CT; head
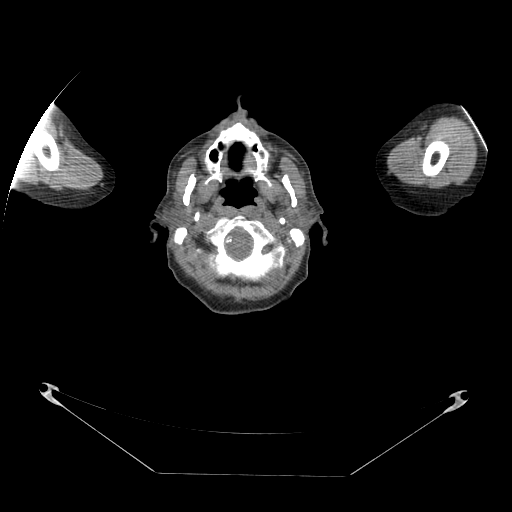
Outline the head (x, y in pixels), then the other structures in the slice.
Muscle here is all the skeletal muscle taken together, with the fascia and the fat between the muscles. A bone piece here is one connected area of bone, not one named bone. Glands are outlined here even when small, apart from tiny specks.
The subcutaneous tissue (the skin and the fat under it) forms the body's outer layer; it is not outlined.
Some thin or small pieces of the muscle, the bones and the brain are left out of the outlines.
Outlined structures:
head: 239,94 246,97 241,106 306,161 323,208 327,245 321,243 320,228 310,232 308,275 288,300 270,309 229,315 212,312 176,281 167,265 168,232 155,224 159,235 150,244 148,223 166,191 172,157 234,111 with holes at 247,177 252,180 252,186 256,191 256,194 253,197 253,203 244,204 239,207 229,204 225,204 224,203 225,198 222,195 221,191 226,186 227,180 234,179 237,181 239,181 243,178 246,178 and at 235,143 241,143 244,147 244,151 241,156 241,167 240,168 240,170 239,171 239,172 236,172 230,166 230,160 229,159 229,157 228,156 228,154 229,153 229,151 230,150 231,147 233,145 233,144 234,144 and at 213,151 214,151 215,151 216,152 216,153 216,154 216,155 216,156 216,157 216,158 216,159 215,160 214,160 213,159 212,159 211,158 211,157 211,156 211,155 211,154 211,153 212,152
bones 1: 236,215 243,215 247,219 257,219 261,221 271,233 281,240 286,248 282,267 272,269 265,277 256,282 245,281 230,276 224,278 217,277 205,262 208,254 214,249 206,239 204,231 211,228 219,218 231,218 with a hole at 237,227 239,227 244,230 252,239 252,245 251,246 251,249 249,253 246,256 240,259 236,259 231,256 227,252 227,250 225,246 226,242 227,243 229,243 232,240 232,238 230,236 228,237 228,235 232,230
bones 2: 238,121 258,135 269,153 267,170 264,172 264,175 271,183 269,187 263,180 254,181 250,175 242,175 239,173 235,175 225,173 221,182 213,179 207,184 205,183 210,174 204,162 206,149 219,134 220,130, around holes outlined by 235,143 241,143 244,147 244,151 241,156 241,167 240,168 240,170 239,171 239,172 236,172 230,166 230,160 229,159 229,157 228,156 228,154 229,153 229,151 230,150 231,147 233,145 233,144 234,144 and by 213,151 214,151 215,151 216,152 216,153 216,154 216,155 216,156 216,157 216,158 216,159 215,160 214,160 213,159 212,159 211,158 211,157 211,156 211,155 211,154 211,153 212,152
bones 3: 39,127 44,127 50,130 55,140 55,142 57,145 57,147 59,151 59,169 58,170 56,170 55,171 48,171 46,170 40,164 37,157 35,155 33,155 32,156 32,147 31,146 31,134 36,129 37,129
bones 4: 433,140 443,140 445,141 448,144 449,148 450,149 450,151 449,152 449,155 446,159 440,171 435,176 426,176 422,171 422,161 423,160 423,157 424,156 424,153 425,152 425,149 426,147 430,143 430,142
bones 5: 292,227 296,227 297,228 299,228 303,232 304,234 304,237 305,238 304,240 304,242 302,245 298,247 296,247 295,245 291,241 290,242 287,242 286,241 286,239 289,236 288,234 288,232 289,230
bones 6: 191,173 194,174 196,178 196,182 195,183 195,186 190,194 190,197 189,198 189,204 188,205 184,205 182,201 182,196 184,193 184,190 185,189 185,187 187,183 187,180 188,179 188,177
bones 7: 285,173 286,173 288,175 288,177 290,180 290,183 294,190 294,193 297,199 297,205 295,207 292,207 291,206 291,198 290,197 290,195 287,191 287,190 284,187 283,184 281,182 281,178 282,176
bones 8: 180,226 183,226 184,227 185,227 187,229 187,236 185,238 185,239 184,240 184,241 181,244 177,244 176,243 175,243 174,242 174,241 173,240 173,234 174,233 174,231 176,229 177,229
brain: 237,227 239,227 244,230 252,239 252,245 251,246 251,249 249,253 246,256 240,259 236,259 231,256 227,252 227,250 225,246 226,242 227,243 229,243 232,240 232,238 230,236 228,237 228,235 232,230
left arm: 438,102 457,103 467,112 483,140 483,143 488,152 488,157 484,174 476,186 473,194 463,198 446,213 439,216 428,217 411,213 396,206 390,201 387,193 377,177 375,171 375,156 381,145 417,113 425,107
right arm: 51,104 54,104 55,106 56,105 59,106 65,112 83,137 109,161 115,171 116,178 113,190 103,199 90,207 79,210 63,209 30,199 21,193 12,192 9,189 13,176 15,175 17,164 26,142 41,116
muscle 1: 237,117 251,122 271,141 294,155 304,172 306,183 306,195 291,212 292,223 305,227 306,230 305,251 299,269 277,294 261,300 241,302 205,293 185,276 175,261 171,248 171,230 174,230 172,240 177,245 181,245 188,236 188,229 181,225 187,215 185,206 190,204 197,182 194,173 188,175 181,201 174,191 172,175 179,157 203,142 220,125; inner edges: 236,215 243,215 247,219 257,219 261,221 271,233 281,240 286,248 282,267 272,269 265,277 256,282 245,281 230,276 224,278 217,277 205,262 208,254 214,249 206,239 204,231 211,228 219,218 231,218, then 238,121 254,131 268,151 264,175 271,183 269,187 263,180 253,180 252,186 256,191 253,203 239,207 225,204 221,191 229,179 253,178 225,173 221,182 213,179 206,184 210,174 204,162 205,151 220,130, then 292,227 296,227 297,228 299,228 303,232 304,234 304,237 305,238 304,240 304,242 302,245 298,247 296,247 295,245 291,241 290,242 287,242 286,241 286,239 289,236 288,234 288,232 289,230, then 285,173 286,173 288,175 288,177 290,180 290,183 294,190 294,193 297,199 297,205 295,207 292,207 291,206 291,198 290,197 290,195 287,191 287,190 284,187 283,184 281,182 281,178 282,176, then 197,211 198,211 199,212 199,213 199,214 199,215 199,216 199,217 199,218 198,219 198,220 197,221 196,221 195,221 194,220 194,219 194,218 194,217 194,216 194,215 195,214 195,213 196,212
muscle 2: 460,114 463,115 473,128 478,136 478,140 480,143 478,147 478,155 475,167 464,184 449,188 421,188 405,184 388,173 386,159 390,150 398,143 410,137 413,131 420,127 424,121 428,121 441,115 459,116 with a hole at 433,140 443,140 445,141 448,144 449,148 450,149 450,151 449,152 449,155 446,159 440,171 435,176 426,176 422,171 422,161 423,160 423,157 424,156 424,153 425,152 425,149 426,147 430,143 430,142
muscle 3: 46,110 68,133 69,139 101,166 104,174 101,183 87,191 64,192 49,189 39,184 36,186 16,181 14,177 16,167 30,134 31,156 35,156 39,164 48,172 60,169 60,151 51,130 39,126 32,132
parotid glands 1: 173,192 177,194 180,199 180,201 183,204 184,207 186,209 186,215 185,216 185,218 183,222 177,228 175,229 170,229 166,225 166,221 163,218 162,215 163,214 163,210 164,209 164,207 170,200 171,194
parotid glands 2: 307,195 307,198 309,200 309,201 311,202 312,205 315,209 315,213 313,215 313,217 311,218 311,219 305,225 305,226 301,226 300,225 295,225 292,221 292,212 299,206 300,201 302,199 302,198 305,197